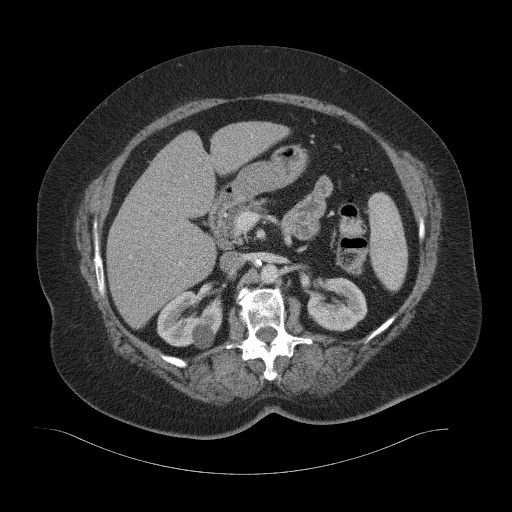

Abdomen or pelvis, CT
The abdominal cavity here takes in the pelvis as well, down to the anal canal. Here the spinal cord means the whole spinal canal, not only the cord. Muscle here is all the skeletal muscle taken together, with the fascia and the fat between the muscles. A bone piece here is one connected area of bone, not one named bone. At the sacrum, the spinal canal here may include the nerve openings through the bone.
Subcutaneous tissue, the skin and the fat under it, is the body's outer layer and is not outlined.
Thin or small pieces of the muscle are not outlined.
torso: 231,44 289,46 342,61 405,102 448,147 467,195 483,319 473,353 443,382 352,421 309,424 269,413 233,435 191,439 116,420 60,377 50,354 51,313 35,251 37,196 49,163 79,123 136,74 188,52
abdominal cavity: 246,100 342,117 383,148 417,225 415,281 395,312 356,339 305,329 302,303 289,295 286,307 277,286 243,286 238,305 227,311 223,342 184,358 164,353 123,325 106,291 102,240 116,180 134,148 155,132
spinal cord: 264,327 271,327 272,328 273,328 276,331 276,335 272,339 272,340 271,340 268,343 267,343 266,342 265,342 264,341 261,340 256,336 256,333 257,332 257,331 259,329 260,329 261,328 263,328
bones 1: 243,287 279,288 285,306 286,331 312,339 311,344 297,344 290,357 275,357 273,368 277,376 272,380 264,378 266,366 261,358 244,360 240,348 225,348 227,344 239,342 248,335 238,314 241,308 236,302, around a hole outlined by 264,327 271,327 272,328 273,328 276,331 276,335 272,339 272,340 271,340 268,343 267,343 266,342 265,342 264,341 261,340 256,336 256,333 257,332 257,331 259,329 260,329 261,328 263,328
bones 2: 95,220 96,220 97,222 97,232 98,233 99,251 101,255 102,263 103,264 103,274 104,275 104,283 105,284 105,293 104,296 101,296 98,291 97,279 95,273 95,266 93,261 93,257 94,256 93,222
bones 3: 394,313 395,313 396,314 396,316 395,317 394,320 391,323 391,324 385,330 384,330 381,333 376,335 367,343 364,343 363,342 363,341 366,337 366,336 367,336 372,331 373,331 376,328 377,328
bones 4: 160,352 164,354 167,354 168,355 172,355 173,356 176,356 179,358 181,358 183,359 187,363 187,365 185,367 183,367 182,368 181,367 178,367 173,364 171,364 165,361 160,356 159,354
bones 5: 419,214 420,215 421,215 423,217 423,219 424,220 424,226 425,227 425,235 424,236 424,237 423,238 423,239 421,241 420,241 419,240 419,238 418,237 418,218 419,217
muscle: 277,92 305,95 337,105 357,116 372,129 388,140 396,148 407,150 412,155 423,162 427,173 433,180 433,183 441,201 442,210 440,222 441,238 439,240 439,250 437,253 437,264 432,281 415,307 416,311 415,315 406,328 399,335 385,345 345,384 333,392 322,397 315,398 312,397 301,398 295,396 286,397 275,385 272,384 269,386 270,387 268,385 264,387 255,396 246,400 240,400 232,405 216,406 191,398 177,390 155,374 153,374 149,371 146,371 142,368 139,368 135,364 130,363 127,359 124,359 120,355 118,355 114,352 111,343 109,341 108,333 106,327 104,325 101,313 96,305 96,302 93,299 90,288 82,276 79,268 80,254 76,247 74,221 79,208 79,205 84,196 85,189 90,182 96,178 101,171 122,151 129,140 139,130 156,118 162,116 165,113 185,102 196,99 211,97 231,98 237,96 250,96; inner edge: 246,100 304,107 364,131 387,154 416,224 419,214 425,227 411,291 391,324 367,343 365,336 340,339 305,329 302,303 289,295 284,327 312,343 297,344 290,357 276,356 272,380 264,378 261,358 244,360 240,348 225,348 248,335 239,305 227,311 226,339 178,367 123,325 107,292 98,291 93,261 93,222 102,254 116,180 134,148 193,114